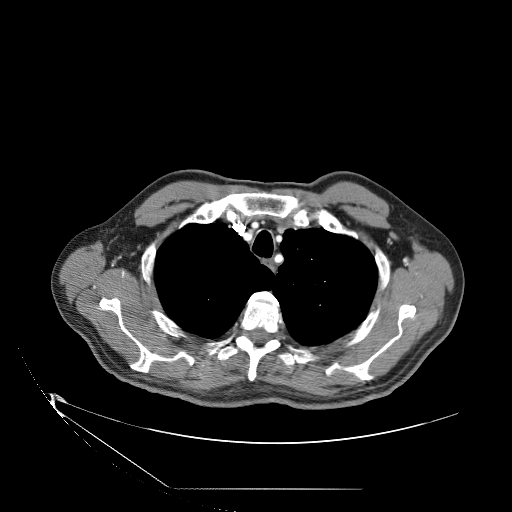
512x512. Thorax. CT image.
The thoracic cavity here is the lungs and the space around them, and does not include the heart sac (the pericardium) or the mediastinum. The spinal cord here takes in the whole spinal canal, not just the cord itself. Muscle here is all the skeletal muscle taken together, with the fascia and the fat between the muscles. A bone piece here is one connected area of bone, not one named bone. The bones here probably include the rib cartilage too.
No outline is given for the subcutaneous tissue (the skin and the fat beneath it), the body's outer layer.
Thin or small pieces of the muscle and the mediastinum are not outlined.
bones 1: [[261,191],[291,195],[302,202],[309,213],[326,209],[346,227],[355,230],[359,239],[328,231],[314,220],[308,226],[296,226],[290,214],[284,218],[268,214],[241,215],[231,220],[221,216],[210,223],[188,223],[178,229],[180,222],[204,202],[230,193]]
bones 2: [[263,290],[270,291],[278,301],[284,327],[281,329],[280,347],[265,354],[259,360],[256,376],[253,381],[249,381],[247,377],[249,356],[245,351],[239,350],[228,358],[220,360],[215,354],[209,356],[203,345],[227,337],[232,332],[249,297],[253,293]], around a hole outlined by [[256,328],[261,328],[262,329],[263,329],[267,333],[268,333],[268,334],[269,335],[269,336],[268,337],[268,339],[263,344],[262,344],[261,345],[256,345],[248,337],[248,332],[249,331],[250,331],[251,330],[253,330],[254,329],[255,329]]
bones 3: [[102,297],[118,298],[125,327],[151,352],[167,357],[179,350],[185,350],[194,357],[193,364],[189,365],[181,357],[173,361],[155,360],[151,363],[147,373],[130,368],[129,364],[139,358],[139,348],[121,330],[117,315],[111,310],[99,308],[99,301]]
bones 4: [[402,304],[414,305],[415,314],[413,317],[406,317],[402,320],[400,337],[370,363],[368,371],[374,375],[373,379],[361,380],[350,372],[338,369],[335,369],[330,375],[325,373],[326,367],[334,361],[344,366],[363,362],[395,336],[398,333],[398,311]]
bones 5: [[286,344],[290,344],[297,348],[307,348],[311,352],[317,355],[319,358],[317,360],[315,360],[314,361],[309,361],[305,364],[302,364],[301,363],[296,362],[291,366],[287,366],[277,357],[277,354],[278,353],[286,350],[286,347],[285,346]]
bones 6: [[375,243],[383,250],[387,255],[390,261],[390,272],[389,273],[389,280],[388,283],[384,289],[378,293],[376,293],[377,284],[378,283],[378,269],[373,254],[375,251],[374,248],[374,244]]
bones 7: [[378,306],[380,306],[380,312],[379,313],[379,315],[377,318],[377,320],[373,325],[368,334],[360,341],[346,347],[344,345],[345,343],[350,339],[350,337],[348,336],[347,334],[348,334],[351,331],[354,330],[365,319],[370,310],[374,310]]
bones 8: [[154,239],[156,239],[156,245],[157,246],[157,249],[155,254],[155,258],[154,259],[153,273],[152,274],[152,279],[153,280],[154,287],[153,285],[149,285],[143,278],[143,276],[141,272],[141,264],[140,263],[140,259],[143,251],[145,249],[146,246]]
bones 9: [[152,309],[156,309],[159,311],[161,311],[163,312],[171,320],[172,320],[184,331],[185,331],[187,334],[187,336],[186,337],[175,337],[163,331],[158,326],[154,317],[152,315],[151,313],[151,310]]
torso: [[188,168],[266,182],[310,182],[331,171],[349,170],[386,187],[441,230],[458,253],[465,285],[451,331],[390,394],[342,408],[297,409],[278,403],[205,407],[117,379],[98,363],[86,342],[59,314],[50,289],[53,265],[78,232],[107,219],[158,177]]
mediastinum: [[258,215],[268,215],[282,219],[286,218],[290,221],[291,220],[294,226],[305,228],[288,228],[283,232],[280,243],[283,262],[278,267],[275,275],[269,268],[260,263],[250,251],[248,244],[233,228],[217,220],[225,218],[231,221],[241,216],[252,217]]
muscle 1: [[183,179],[263,190],[297,188],[313,192],[321,192],[340,180],[355,182],[389,205],[387,220],[391,226],[376,232],[387,254],[375,242],[372,253],[359,240],[358,232],[331,211],[322,207],[309,212],[291,194],[266,190],[230,192],[204,201],[158,247],[154,238],[140,255],[142,278],[155,288],[163,310],[152,308],[150,313],[157,326],[175,338],[186,338],[187,332],[202,338],[216,339],[224,335],[232,328],[227,336],[217,340],[207,341],[202,348],[209,357],[215,355],[220,361],[239,351],[245,352],[248,381],[199,393],[135,376],[120,367],[125,366],[122,357],[69,305],[59,283],[59,271],[70,253],[98,240],[108,267],[133,271],[132,254],[148,238],[148,231],[135,224],[135,209],[153,192]]; inner edge: [[102,297],[118,298],[125,327],[151,352],[167,357],[179,350],[185,350],[194,357],[193,364],[189,365],[181,357],[173,361],[155,360],[151,363],[147,373],[130,368],[129,364],[139,358],[139,348],[121,330],[117,315],[111,310],[99,308],[99,301]]
muscle 2: [[410,238],[416,239],[431,251],[436,251],[445,257],[453,274],[453,291],[445,296],[443,313],[436,325],[397,363],[382,385],[325,398],[304,395],[300,391],[285,386],[254,381],[260,360],[281,347],[282,329],[284,328],[295,342],[304,347],[329,344],[346,335],[349,337],[343,345],[346,348],[363,340],[380,315],[380,305],[374,309],[370,308],[375,295],[383,291],[389,283],[390,259],[395,268],[400,267],[413,255]], around holes outlined by [[402,304],[414,305],[415,314],[413,317],[406,317],[402,320],[400,337],[370,363],[368,371],[374,375],[373,379],[361,380],[350,372],[338,369],[335,369],[330,375],[325,373],[326,367],[334,361],[344,366],[363,362],[395,336],[398,333],[398,311]] and by [[286,344],[290,344],[297,348],[307,348],[311,352],[317,355],[319,358],[317,360],[315,360],[314,361],[309,361],[305,364],[302,364],[301,363],[296,362],[291,366],[287,366],[277,357],[277,354],[278,353],[286,350],[286,347],[285,346]]
spinal cord: [[256,328],[261,328],[262,329],[263,329],[267,333],[268,333],[268,334],[269,335],[269,336],[268,337],[268,339],[263,344],[262,344],[261,345],[256,345],[248,337],[248,332],[249,331],[250,331],[251,330],[253,330],[254,329],[255,329]]
thoracic cavity: [[215,221],[233,229],[274,276],[284,262],[281,243],[288,229],[319,226],[358,240],[377,269],[375,294],[364,319],[334,341],[304,346],[285,329],[277,298],[263,289],[248,297],[233,326],[219,337],[184,330],[158,298],[153,279],[157,250],[184,226]]